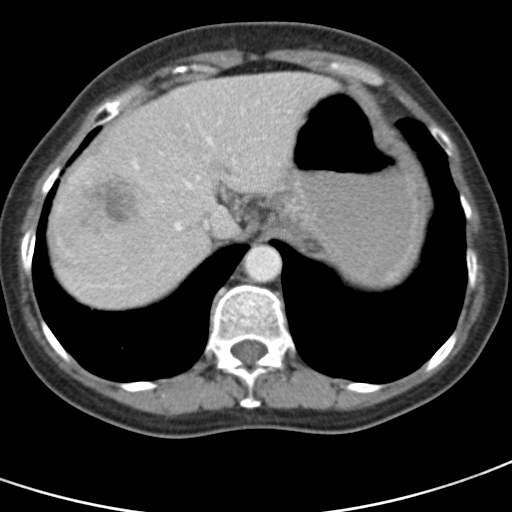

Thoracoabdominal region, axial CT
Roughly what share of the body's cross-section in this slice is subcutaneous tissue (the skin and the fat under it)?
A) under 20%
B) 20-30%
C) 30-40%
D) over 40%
Answer: A) under 20%
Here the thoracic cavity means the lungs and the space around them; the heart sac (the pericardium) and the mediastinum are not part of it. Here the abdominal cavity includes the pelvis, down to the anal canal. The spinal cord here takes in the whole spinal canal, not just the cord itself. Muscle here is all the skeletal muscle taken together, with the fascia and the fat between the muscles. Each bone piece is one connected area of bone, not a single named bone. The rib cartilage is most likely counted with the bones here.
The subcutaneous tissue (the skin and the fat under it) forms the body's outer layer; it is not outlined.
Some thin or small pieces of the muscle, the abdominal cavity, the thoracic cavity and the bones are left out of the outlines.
{"mediastinum":[[[254,238],[270,240],[269,243],[276,248],[281,256],[281,285],[287,322],[284,320],[282,306],[278,297],[272,290],[264,286],[241,283],[228,288],[222,294],[213,312],[214,318],[210,328],[210,313],[214,297],[234,271],[249,248],[248,244]],[[362,83],[364,84],[369,84],[372,86],[377,87],[386,92],[388,92],[394,96],[400,103],[411,112],[413,116],[403,116],[401,118],[397,118],[395,120],[395,123],[392,123],[392,122],[390,121],[383,113],[382,108],[380,107],[376,100]]],"spinal_cord":[[[243,340],[255,340],[256,341],[258,341],[262,343],[266,347],[266,352],[262,356],[261,356],[257,360],[256,360],[255,362],[252,365],[246,365],[241,360],[240,360],[237,357],[236,357],[231,351],[231,348],[233,346],[233,345]]],"torso":[[[257,20],[311,22],[351,31],[395,51],[422,75],[468,136],[499,204],[509,261],[505,303],[480,355],[453,386],[375,426],[343,434],[243,429],[181,439],[129,431],[61,399],[23,357],[0,286],[0,212],[28,154],[80,90],[112,62],[178,30]]],"bones":[{"outer":[[241,284],[264,287],[275,294],[296,348],[293,357],[285,354],[282,370],[273,368],[255,379],[252,395],[261,404],[252,408],[239,403],[248,395],[245,382],[235,374],[217,369],[213,354],[210,357],[203,354],[209,330],[213,327],[214,312],[223,294]],"hole":[[243,340],[255,340],[256,341],[258,341],[262,343],[266,347],[266,352],[262,356],[261,356],[257,360],[256,360],[255,362],[252,365],[246,365],[241,360],[240,360],[237,357],[236,357],[231,351],[231,348],[233,346],[233,345]]},[[135,85],[138,85],[140,86],[141,88],[139,91],[127,102],[127,103],[121,106],[118,113],[114,117],[108,121],[106,121],[90,129],[92,126],[91,118],[93,116],[96,109],[99,106],[106,101],[111,100],[118,93],[124,90],[126,90]],[[331,61],[345,62],[349,64],[355,64],[356,65],[362,66],[377,73],[383,78],[384,81],[381,85],[379,86],[375,86],[369,83],[366,83],[360,79],[358,79],[350,75],[346,75],[342,73],[339,73],[337,71],[328,69],[326,67],[326,65]],[[31,227],[34,228],[36,230],[36,231],[35,232],[35,242],[34,243],[33,254],[32,255],[32,261],[31,262],[31,273],[30,274],[27,274],[24,270],[23,266],[22,265],[22,260],[21,259],[21,249],[20,247],[21,246],[22,237],[24,233]],[[454,330],[456,332],[456,340],[455,341],[455,343],[453,347],[451,349],[451,350],[449,352],[447,356],[438,365],[437,365],[434,368],[431,369],[429,371],[426,371],[425,370],[425,363],[440,347],[440,346],[448,338],[448,337]],[[41,319],[43,319],[45,321],[56,338],[59,341],[59,342],[62,345],[65,350],[71,356],[71,358],[69,362],[67,362],[65,360],[64,360],[53,349],[53,348],[48,342],[42,330],[42,327],[41,326],[41,323],[40,322],[41,321]],[[430,125],[435,125],[439,127],[447,135],[452,145],[452,155],[451,156],[449,156],[446,153],[446,152],[444,150],[442,146],[434,138],[434,137],[431,134],[431,133],[428,129],[428,127]],[[57,166],[60,166],[62,168],[61,169],[61,171],[60,172],[58,177],[54,181],[52,186],[48,191],[47,194],[45,196],[44,196],[41,192],[41,189],[42,188],[42,185],[45,181],[45,180],[47,178],[47,177],[49,175],[49,174]]],"thoracic_cavity":[[[403,117],[421,122],[447,155],[465,218],[467,283],[461,309],[447,338],[402,377],[377,383],[328,375],[297,351],[284,302],[283,259],[270,241],[280,241],[328,268],[344,287],[356,292],[382,294],[403,285],[422,262],[436,208],[424,164],[395,125]],[[57,179],[44,232],[47,262],[59,287],[75,302],[90,310],[126,312],[158,304],[177,291],[201,264],[220,250],[242,244],[248,246],[213,297],[206,343],[201,355],[189,368],[153,380],[108,379],[82,366],[50,328],[36,297],[32,262],[43,204]],[[98,126],[100,127],[98,131],[89,141],[87,145],[86,145],[85,147],[84,147],[83,149],[81,150],[81,151],[72,160],[72,161],[70,162],[70,163],[67,164],[68,160],[70,158],[72,154],[80,145],[81,142],[84,139],[86,135],[92,129]]],"abdominal_cavity":[[[266,59],[326,68],[360,80],[415,150],[435,204],[415,272],[391,291],[360,292],[344,286],[331,269],[286,243],[254,237],[247,244],[220,249],[171,295],[147,307],[102,311],[75,301],[54,279],[45,242],[48,214],[66,163],[122,106],[164,81]]],"muscle":[{"outer":[[285,48],[329,51],[385,70],[443,127],[456,144],[479,214],[485,271],[485,300],[463,346],[432,377],[369,407],[335,412],[258,408],[262,403],[253,395],[256,379],[273,369],[282,371],[286,354],[293,358],[297,352],[318,372],[350,380],[343,386],[356,393],[375,392],[423,364],[426,372],[434,369],[456,343],[466,288],[475,286],[478,271],[476,253],[466,245],[466,220],[471,219],[472,208],[450,172],[453,145],[448,135],[435,124],[427,128],[394,95],[378,87],[385,81],[372,69],[337,60],[322,69],[266,58],[173,76],[131,101],[142,88],[135,84],[99,105],[90,118],[90,130],[63,167],[57,165],[42,183],[45,197],[36,229],[31,226],[23,233],[19,247],[43,318],[41,330],[64,361],[69,363],[72,357],[89,372],[118,382],[128,392],[139,392],[155,389],[154,380],[186,371],[202,354],[213,355],[217,370],[244,382],[247,395],[238,403],[243,408],[165,417],[120,403],[70,377],[27,328],[18,298],[17,231],[36,181],[93,106],[169,61],[207,51],[237,49],[262,55]],"hole":[[193,63],[198,65],[204,65],[205,66],[207,66],[208,68],[204,70],[201,69],[196,71],[195,70],[190,69],[183,73],[176,73],[175,74],[173,74],[171,72],[172,69],[175,66],[177,66],[178,65],[183,65],[184,64],[192,64]]}]}